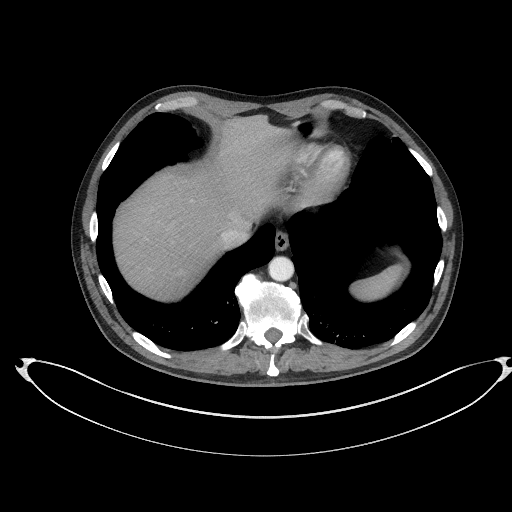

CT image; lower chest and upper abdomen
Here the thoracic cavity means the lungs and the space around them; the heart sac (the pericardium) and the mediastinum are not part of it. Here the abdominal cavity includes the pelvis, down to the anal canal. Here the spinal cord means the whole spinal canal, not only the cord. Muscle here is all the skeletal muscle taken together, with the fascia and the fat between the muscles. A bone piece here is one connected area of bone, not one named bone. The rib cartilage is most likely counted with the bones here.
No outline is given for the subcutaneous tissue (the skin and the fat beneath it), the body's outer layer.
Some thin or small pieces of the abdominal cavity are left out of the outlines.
thoracic cavity 1: (350, 349) (371, 347) (391, 339) (423, 311) (432, 293) (432, 274) (441, 251) (442, 238) (436, 222) (430, 179) (389, 130) (373, 136) (364, 147) (348, 190) (331, 204) (307, 208) (292, 215) (288, 224) (292, 260) (298, 275) (303, 309) (310, 317) (309, 328) (321, 340) with a hole at (361, 302) (372, 302) (373, 301) (377, 301) (380, 299) (383, 299) (400, 287) (405, 276) (407, 275) (410, 267) (410, 263) (401, 249) (388, 245) (381, 245) (379, 246) (376, 249) (377, 252) (372, 264) (366, 268) (348, 286) (348, 291) (351, 296) (357, 301) (360, 301)
thoracic cavity 2: (178, 351) (217, 346) (234, 333) (241, 319) (234, 287) (271, 259) (274, 230) (264, 224) (226, 252) (178, 302) (147, 300) (125, 283) (111, 246) (116, 207) (144, 178) (184, 161) (197, 142) (183, 118) (157, 112) (132, 130) (101, 177) (95, 245) (122, 317) (159, 346)
mediastinum 1: (298, 293) (299, 290) (297, 285) (297, 275) (291, 260) (290, 238) (287, 228) (288, 217) (280, 210) (274, 210) (262, 219) (259, 227) (267, 222) (273, 225) (275, 230) (275, 253) (267, 264) (249, 272) (257, 273) (265, 280) (273, 279) (275, 281) (281, 282) (290, 286)
mediastinum 2: (338, 198) (349, 187) (355, 166) (357, 165) (363, 147) (373, 135) (382, 130) (387, 130) (387, 128) (380, 122) (368, 117) (363, 120) (353, 119) (349, 118) (337, 110) (332, 110) (328, 118) (330, 128) (344, 139) (349, 146) (353, 158) (347, 181) (344, 189) (337, 197)
spinal cord: (272, 342) (274, 342) (275, 341) (276, 341) (280, 337) (280, 336) (281, 335) (281, 333) (278, 330) (277, 330) (276, 329) (274, 329) (273, 328) (272, 328) (271, 329) (270, 329) (269, 330) (268, 330) (265, 333) (265, 336) (266, 337) (266, 338)
pericardium: (314, 204) (331, 201) (341, 192) (343, 189) (344, 184) (348, 175) (348, 171) (352, 158) (348, 146) (343, 139) (332, 130) (325, 129) (324, 128) (319, 128) (314, 130) (297, 147) (294, 153) (294, 156) (291, 164) (290, 177) (294, 185) (296, 192) (304, 200) (311, 202)
bones 1: (270, 376) (279, 373) (274, 364) (275, 354) (284, 345) (293, 344) (297, 335) (319, 346) (323, 342) (308, 328) (309, 317) (293, 289) (247, 273) (234, 290) (242, 319) (235, 333) (218, 349) (226, 351) (246, 337) (254, 346) (271, 352) (267, 370) with a hole at (272, 342) (274, 342) (275, 341) (276, 341) (280, 337) (280, 336) (281, 335) (281, 333) (278, 330) (277, 330) (276, 329) (274, 329) (273, 328) (272, 328) (271, 329) (270, 329) (269, 330) (268, 330) (265, 333) (265, 336) (266, 337) (266, 338)
bones 2: (359, 119) (363, 119) (366, 116) (366, 112) (359, 108) (356, 108) (355, 107) (350, 106) (342, 101) (330, 99) (329, 100) (324, 100) (320, 103) (321, 105) (329, 109) (337, 109) (344, 114) (347, 115) (349, 117) (352, 117) (353, 118) (358, 118)
bones 3: (162, 112) (165, 112) (166, 111) (172, 110) (176, 108) (192, 106) (195, 104) (197, 104) (198, 101) (197, 99) (194, 97) (182, 97) (181, 98) (177, 98) (173, 100) (170, 100) (164, 103) (158, 103) (154, 107) (154, 108) (157, 111) (161, 111)
bones 4: (167, 359) (169, 359) (172, 357) (170, 354) (163, 351) (156, 344) (155, 344) (152, 341) (148, 339) (142, 334) (136, 331) (133, 331) (131, 332) (131, 335) (134, 339) (134, 340) (146, 350) (158, 356) (160, 356) (161, 357) (163, 357)
bones 5: (390, 346) (395, 345) (399, 342) (400, 342) (402, 340) (403, 340) (405, 338) (406, 338) (413, 331) (417, 323) (415, 321) (412, 321) (408, 324) (407, 324) (399, 332) (398, 332) (391, 340) (390, 340) (389, 342) (389, 345)
bones 6: (112, 305) (115, 305) (115, 303) (114, 302) (114, 300) (112, 296) (112, 292) (110, 289) (110, 287) (108, 283) (106, 281) (105, 278) (102, 275) (102, 274) (101, 273) (99, 273) (97, 276) (97, 278) (98, 279) (98, 282) (101, 288) (101, 290) (108, 300) (108, 301)
bones 7: (94, 244) (95, 244) (95, 242) (96, 241) (96, 239) (97, 238) (97, 236) (98, 235) (98, 222) (97, 221) (97, 215) (96, 214) (96, 211) (93, 211) (92, 212) (92, 213) (91, 214) (91, 216) (90, 217) (90, 219) (89, 220) (89, 237) (90, 238) (91, 241)
bones 8: (430, 178) (433, 174) (432, 173) (432, 170) (431, 169) (431, 167) (430, 165) (417, 152) (416, 152) (413, 149) (411, 148) (408, 148) (408, 150) (417, 160) (417, 161) (419, 163) (421, 167) (424, 170) (426, 174)
bones 9: (441, 233) (444, 233) (446, 231) (446, 229) (447, 228) (447, 220) (446, 219) (446, 216) (445, 215) (445, 213) (444, 212) (444, 211) (442, 209) (442, 208) (440, 206) (439, 206) (438, 205) (436, 208) (436, 211) (437, 212) (437, 222) (438, 223) (439, 228) (441, 231)
bones 10: (103, 172) (109, 165) (116, 151) (118, 149) (120, 145) (120, 142) (119, 141) (116, 142) (114, 144) (114, 145) (111, 148) (111, 149) (108, 152) (108, 153) (104, 158) (103, 160) (103, 162) (102, 163) (102, 165) (101, 166) (101, 170)
bones 11: (433, 288) (434, 288) (438, 284) (439, 282) (439, 280) (441, 277) (441, 275) (443, 271) (443, 268) (444, 267) (444, 260) (443, 259) (440, 259) (438, 261) (437, 263) (437, 265) (435, 268) (435, 270) (433, 274)
muscle: (247, 377) (267, 375) (270, 352) (254, 347) (246, 338) (226, 352) (220, 352) (217, 347) (193, 352) (160, 347) (172, 355) (169, 360) (146, 351) (133, 340) (130, 332) (134, 330) (100, 290) (96, 278) (100, 270) (95, 246) (88, 237) (88, 220) (96, 206) (102, 160) (116, 141) (121, 143) (140, 121) (156, 112) (153, 107) (158, 102) (182, 96) (194, 96) (199, 102) (225, 114) (265, 106) (292, 115) (324, 99) (339, 99) (365, 110) (367, 116) (383, 123) (407, 147) (417, 151) (432, 167) (435, 200) (446, 213) (448, 228) (442, 234) (440, 258) (445, 260) (444, 271) (439, 284) (433, 289) (429, 304) (415, 320) (418, 323) (414, 331) (395, 346) (390, 347) (388, 341) (359, 350) (325, 342) (319, 347) (297, 336) (293, 345) (284, 346) (275, 356) (279, 375) (347, 370) (391, 356) (407, 348) (422, 334) (438, 313) (447, 293) (456, 237) (452, 206) (433, 163) (391, 118) (356, 99) (337, 94) (318, 94) (260, 104) (222, 99) (201, 92) (172, 93) (143, 107) (126, 121) (104, 150) (92, 174) (82, 210) (80, 252) (88, 290) (106, 322) (125, 343) (151, 361) (188, 371)
torso: (240, 388) (320, 384) (388, 367) (424, 347) (446, 316) (463, 250) (463, 221) (456, 192) (420, 136) (391, 107) (366, 92) (320, 86) (251, 95) (192, 84) (164, 87) (141, 97) (122, 114) (80, 182) (71, 217) (71, 255) (82, 295) (103, 336) (118, 351) (154, 371)
abdominal cavity 1: (161, 303) (181, 299) (274, 209) (289, 218) (337, 199) (306, 202) (289, 177) (296, 147) (314, 129) (329, 128) (331, 110) (313, 105) (285, 116) (262, 107) (225, 115) (198, 103) (166, 112) (183, 117) (198, 142) (184, 162) (144, 179) (112, 221) (113, 253) (123, 279)
abdominal cavity 2: (361, 302) (372, 302) (373, 301) (377, 301) (380, 299) (383, 299) (400, 287) (405, 276) (407, 275) (410, 267) (410, 263) (401, 249) (388, 245) (381, 245) (379, 246) (376, 249) (377, 252) (372, 264) (366, 268) (348, 286) (348, 291) (351, 296) (357, 301) (360, 301)